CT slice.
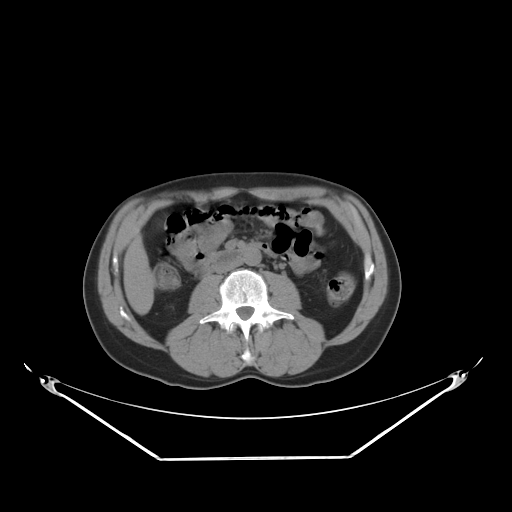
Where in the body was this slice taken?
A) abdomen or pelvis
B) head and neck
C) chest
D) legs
A) abdomen or pelvis
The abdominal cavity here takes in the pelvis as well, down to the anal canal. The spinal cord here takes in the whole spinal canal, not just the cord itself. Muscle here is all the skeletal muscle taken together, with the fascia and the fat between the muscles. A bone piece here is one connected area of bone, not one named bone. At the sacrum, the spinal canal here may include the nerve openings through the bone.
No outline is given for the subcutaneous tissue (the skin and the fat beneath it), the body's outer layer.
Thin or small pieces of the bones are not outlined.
{"torso":[[[227,170],[279,170],[317,175],[352,188],[374,209],[398,258],[401,297],[383,343],[360,368],[307,387],[282,387],[245,378],[216,388],[194,390],[166,385],[132,372],[112,360],[101,348],[86,315],[82,278],[93,240],[109,213],[137,190],[172,178]]],"muscle":[{"outer":[[300,185],[331,187],[347,192],[355,197],[368,211],[382,243],[388,270],[387,293],[376,314],[356,337],[348,342],[327,347],[312,366],[293,376],[266,376],[253,366],[246,366],[237,374],[232,376],[226,378],[210,378],[199,376],[186,371],[174,362],[170,356],[162,350],[148,347],[131,340],[108,320],[104,313],[97,288],[98,261],[103,242],[114,216],[129,200],[142,195],[163,191],[201,190],[221,186],[283,187]],"holes":[[[240,192],[267,201],[325,207],[362,256],[370,255],[374,271],[363,279],[356,309],[338,333],[327,337],[319,321],[300,311],[294,282],[270,270],[257,272],[267,285],[268,302],[294,318],[275,320],[262,331],[254,325],[248,341],[237,326],[227,332],[216,321],[199,323],[221,306],[219,285],[225,275],[209,274],[195,285],[188,315],[162,339],[131,314],[120,270],[113,271],[113,255],[119,262],[124,248],[160,208]],[[349,204],[351,204],[356,209],[356,210],[361,219],[361,221],[363,224],[363,228],[362,229],[359,228],[355,225],[355,223],[354,222],[354,218],[353,217],[353,215],[352,214],[352,212],[351,211],[351,209],[350,208],[350,206],[349,205]],[[246,348],[248,348],[249,349],[249,350],[250,351],[250,352],[251,353],[251,354],[254,357],[254,359],[251,362],[251,363],[250,364],[247,364],[245,362],[245,361],[242,359],[242,358],[241,357],[241,355],[242,354],[242,353],[244,351],[244,350]],[[120,307],[122,307],[122,308],[123,309],[123,310],[129,316],[129,317],[130,318],[130,320],[127,320],[126,319],[125,319],[120,314],[120,312],[119,311],[120,310]]]}],"bones":[{"outer":[[239,268],[247,268],[259,273],[267,285],[269,304],[276,309],[292,314],[294,318],[275,320],[270,327],[262,331],[254,325],[250,329],[248,341],[245,340],[237,326],[231,332],[227,332],[216,321],[199,323],[202,317],[221,306],[219,285],[231,271]],"hole":[[245,306],[248,306],[249,307],[251,307],[253,309],[253,311],[252,312],[251,315],[248,318],[247,318],[246,319],[243,319],[242,318],[241,318],[239,316],[239,315],[237,313],[236,310],[238,308],[239,308],[240,307],[244,307]]},[[367,253],[368,253],[370,255],[370,256],[371,257],[371,259],[372,260],[372,261],[374,264],[374,271],[373,272],[373,273],[371,275],[370,278],[368,280],[365,279],[365,278],[364,277],[364,262],[363,261],[364,260],[364,255]],[[349,204],[351,204],[356,209],[356,210],[361,219],[361,221],[363,224],[363,228],[362,229],[359,228],[355,225],[355,223],[354,222],[354,218],[353,217],[353,215],[352,214],[352,212],[351,211],[351,209],[350,208],[350,206],[349,205]],[[246,348],[248,348],[249,349],[249,350],[250,351],[250,352],[251,353],[251,354],[254,357],[254,359],[251,362],[251,363],[250,364],[247,364],[245,362],[245,361],[242,359],[242,358],[241,357],[241,355],[242,354],[242,353],[244,351],[244,350]],[[120,307],[122,307],[122,308],[123,309],[123,310],[129,316],[129,317],[130,318],[130,320],[127,320],[126,319],[125,319],[120,314],[120,312],[119,311],[120,310]]],"spinal_cord":[[[245,306],[248,306],[249,307],[251,307],[253,309],[253,311],[252,312],[251,315],[248,318],[247,318],[246,319],[243,319],[242,318],[241,318],[239,316],[239,315],[237,313],[236,310],[238,308],[239,308],[240,307],[244,307]]],"abdominal_cavity":[[[240,192],[267,201],[325,207],[343,226],[363,257],[364,278],[356,309],[338,333],[327,337],[319,321],[300,311],[300,293],[285,273],[247,267],[201,279],[189,296],[188,315],[162,339],[131,314],[120,283],[120,257],[151,215],[168,205],[217,200]]]}